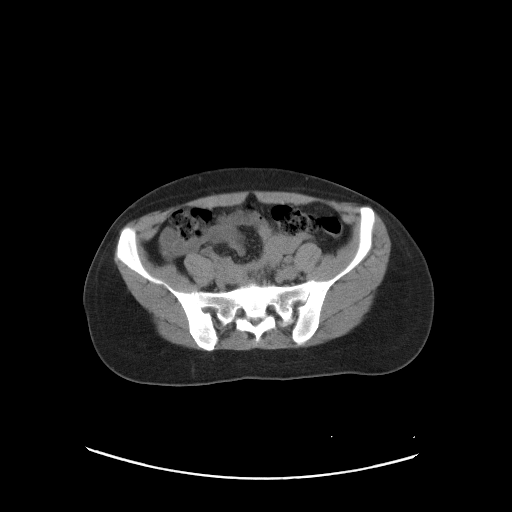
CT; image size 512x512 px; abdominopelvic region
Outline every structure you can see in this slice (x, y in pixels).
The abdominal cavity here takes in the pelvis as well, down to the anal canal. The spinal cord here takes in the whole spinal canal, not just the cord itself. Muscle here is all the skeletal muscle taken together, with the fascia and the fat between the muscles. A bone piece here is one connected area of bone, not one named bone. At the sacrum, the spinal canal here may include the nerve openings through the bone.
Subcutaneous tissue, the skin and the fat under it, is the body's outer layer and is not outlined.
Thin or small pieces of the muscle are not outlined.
The torso is outlined by 229,166 281,167 313,174 373,198 403,223 426,258 435,295 429,336 422,350 409,364 382,375 242,379 197,386 136,383 116,375 104,365 89,336 82,297 88,268 108,228 125,208 154,188 188,174. The spinal cord appears in 3 outlined pieces: piece 1: 257,318 260,318 261,319 261,320 257,324 256,324 255,325 254,324 253,324 249,320 250,319 256,319; piece 2: 270,306 271,306 272,307 273,307 273,308 274,309 274,310 273,311 273,312 272,312 271,313 270,313 269,312 268,312 268,311 267,310 267,309 268,308 268,307 269,307; piece 3: 240,310 241,310 242,311 243,311 243,312 244,313 244,314 243,315 243,316 242,316 241,317 240,317 239,316 238,316 238,315 237,314 237,313 238,312 238,311 239,311. The bones are outlined by 364,205 375,215 371,247 328,289 318,327 302,345 292,339 292,323 265,331 257,342 233,322 222,326 215,320 217,343 204,350 190,334 176,297 116,257 120,232 129,226 144,268 177,291 328,280 355,255, around a hole outlined by 257,318 260,318 261,319 261,320 257,324 256,324 255,325 254,324 253,324 249,320 250,319 256,319. The abdominal cavity is outlined by 250,197 266,204 319,202 351,227 349,238 334,250 310,241 298,248 293,263 304,281 278,285 252,280 209,291 202,290 215,274 209,258 196,252 185,256 192,280 173,262 150,259 145,243 175,210 233,206. The muscle appears in 3 outlined pieces: piece 1: 244,190 298,191 366,204 358,208 358,243 354,255 346,266 328,279 316,280 311,278 305,280 303,278 305,274 298,271 294,263 294,257 299,248 305,243 314,243 322,251 334,251 351,236 352,227 343,220 335,209 319,201 303,204 289,202 266,203 250,196 243,202 233,205 211,207 186,205 172,211 159,225 156,232 144,243 144,247 152,262 157,265 171,262 192,281 193,279 184,264 186,256 190,253 196,253 209,259 213,264 213,278 211,282 200,290 177,290 166,281 152,275 141,261 136,229 129,225 122,228 127,222 153,210 212,194; piece 2: 375,211 386,226 391,249 384,278 364,321 344,335 307,347 214,350 219,340 215,321 222,327 233,323 237,331 251,333 257,343 265,332 292,324 291,339 298,346 308,341 319,327 329,289 370,251; piece 3: 120,230 115,248 115,257 128,268 149,282 156,285 161,285 175,297 184,312 187,321 189,334 197,346 203,350 192,349 171,343 162,338 157,333 154,325 150,319 150,316 128,290 116,265 114,263 113,249.